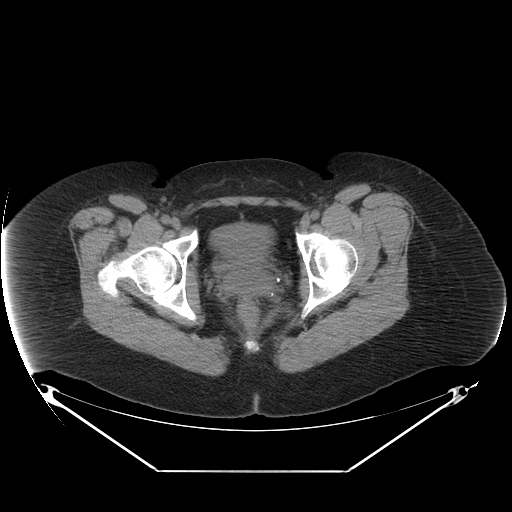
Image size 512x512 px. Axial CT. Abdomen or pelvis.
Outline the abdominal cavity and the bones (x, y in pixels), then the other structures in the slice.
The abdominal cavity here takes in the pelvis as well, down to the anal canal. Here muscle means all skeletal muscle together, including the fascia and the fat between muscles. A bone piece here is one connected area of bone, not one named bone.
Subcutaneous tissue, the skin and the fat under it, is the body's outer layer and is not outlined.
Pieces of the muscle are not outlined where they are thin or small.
{"abdominal_cavity":[[[239,204],[289,207],[299,213],[294,223],[294,239],[299,254],[297,289],[266,313],[257,328],[253,330],[247,330],[242,327],[236,319],[235,314],[227,306],[223,305],[201,288],[197,248],[200,239],[199,230],[192,217],[196,211],[202,208],[236,206]]],"bones":[[[194,228],[198,230],[199,239],[197,246],[187,258],[185,292],[188,304],[196,315],[195,322],[157,303],[141,292],[129,277],[117,280],[117,297],[106,293],[98,284],[98,271],[111,259],[122,260],[148,245],[160,246],[163,242],[189,234]],[[295,231],[303,233],[320,232],[330,237],[344,238],[355,248],[358,257],[358,267],[349,283],[339,293],[313,308],[304,319],[301,318],[300,314],[301,310],[307,301],[309,295],[309,282],[308,281],[308,276],[305,264],[296,244]],[[247,340],[253,340],[254,341],[255,341],[258,344],[258,346],[259,347],[259,349],[256,352],[255,352],[254,353],[253,353],[252,352],[248,352],[247,351],[247,350],[246,349],[246,348],[244,345],[244,343],[245,342],[245,341],[246,341]]],"muscle":[{"outer":[[360,182],[385,184],[413,206],[407,257],[411,305],[393,325],[344,353],[306,371],[285,373],[267,353],[248,356],[236,347],[225,373],[212,377],[127,348],[82,321],[79,270],[66,226],[91,200],[132,194],[168,212],[197,200],[236,195],[310,204]],"holes":[[[239,204],[289,207],[299,213],[296,231],[344,238],[355,248],[358,267],[349,283],[304,319],[309,282],[300,253],[297,289],[253,330],[201,288],[196,247],[185,276],[195,322],[129,277],[117,280],[117,297],[98,284],[111,259],[189,234],[202,208]],[[247,340],[253,340],[254,341],[255,341],[258,344],[258,346],[259,347],[259,349],[256,352],[255,352],[254,353],[253,353],[252,352],[248,352],[247,351],[247,350],[246,349],[246,348],[244,345],[244,343],[245,342],[245,341],[246,341]]]}],"torso":[[[340,150],[416,164],[477,225],[506,286],[493,347],[480,360],[429,368],[327,411],[236,418],[164,411],[26,367],[5,307],[1,240],[12,216],[48,184],[81,168],[132,158],[155,162],[165,177],[204,162],[253,157],[291,161],[328,176],[322,160]]]}